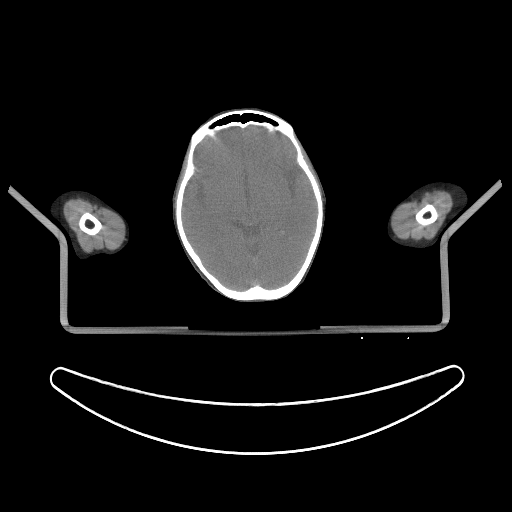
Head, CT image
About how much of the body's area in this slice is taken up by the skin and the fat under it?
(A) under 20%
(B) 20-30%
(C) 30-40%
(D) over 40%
Answer: (A) under 20%
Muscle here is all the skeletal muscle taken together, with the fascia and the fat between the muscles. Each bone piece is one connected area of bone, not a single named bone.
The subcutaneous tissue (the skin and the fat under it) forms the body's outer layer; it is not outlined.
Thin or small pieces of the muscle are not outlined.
The brain is outlined by 248,126 261,127 269,133 278,132 289,140 316,205 313,233 301,264 286,282 270,288 254,284 237,289 224,284 203,263 187,236 182,217 185,190 196,170 194,154 198,144 206,137 214,138 223,130. The muscle appears in 3 outlined pieces: piece 1: 76,197 86,199 99,206 105,207 117,214 121,218 125,226 125,238 118,248 114,250 109,250 105,248 94,250 88,253 84,252 82,250 77,241 75,233 69,227 62,211 63,204 65,201 70,198 75,198; inner edge: 84,212 89,212 91,214 92,214 99,220 99,221 102,225 102,227 101,228 101,229 96,234 95,234 94,235 90,235 89,234 84,232 82,230 81,230 79,227 78,222 79,221 79,219 80,218 81,215; piece 2: 433,190 444,190 449,192 452,196 454,203 451,210 446,216 445,220 435,236 430,240 425,240 424,239 402,240 396,237 391,228 391,220 395,210 401,204 409,202 414,199 419,199 425,192; inner edge: 428,203 429,203 430,204 432,204 435,207 435,208 438,213 438,216 437,217 436,220 432,223 430,223 427,225 422,226 416,221 416,220 415,219 415,215 416,214 416,213 422,207 423,207 426,204 427,204; piece 3: 303,151 303,152 305,154 305,155 306,156 306,157 307,158 307,159 308,160 308,161 309,162 309,163 310,164 310,165 317,178 317,180 315,175 310,169 310,167 307,163 307,162 304,157 304,155 303,154. The head is outlined by 246,106 256,106 269,110 291,124 319,175 326,196 326,218 323,235 311,269 305,281 287,299 275,303 247,303 235,301 224,297 209,287 196,273 186,258 172,222 172,192 191,135 200,124 212,114 224,109, around a hole outlined by 244,114 253,114 254,115 258,115 259,116 262,116 269,120 256,120 255,119 248,119 245,121 242,121 239,119 238,120 230,120 223,123 217,123 222,119 228,116 231,116 232,115 238,115 240,117. The left arm is outlined by 432,181 448,181 460,185 466,191 468,196 468,202 466,208 463,209 451,221 450,224 441,232 439,240 430,247 414,248 413,247 402,246 395,243 390,239 386,231 386,225 391,210 398,202 416,188 423,184. The right arm is outlined by 72,189 86,190 95,194 115,208 127,220 129,225 129,241 127,245 121,251 112,255 98,254 86,259 79,259 76,256 69,238 65,232 59,226 59,223 53,217 49,210 50,204 59,194 67,190 71,190. The bones appear in 3 outlined pieces: piece 1: 241,109 253,109 274,114 291,124 301,144 303,157 314,175 321,193 322,230 313,258 297,286 290,293 277,299 237,300 222,294 190,257 180,239 176,225 175,201 186,166 186,154 191,135 199,126 215,116, around holes outlined by 248,126 261,127 269,133 278,132 289,140 316,205 313,233 301,264 286,282 270,288 254,284 237,289 224,284 203,263 187,236 182,217 185,190 196,170 194,154 198,144 206,137 214,138 223,130 and by 244,114 253,114 254,115 258,115 259,116 262,116 269,120 256,120 255,119 248,119 245,121 242,121 239,119 238,120 230,120 223,123 217,123 222,119 228,116 231,116 232,115 238,115 240,117; piece 2: 84,212 89,212 91,214 92,214 99,220 99,221 102,225 102,227 101,228 101,229 96,234 95,234 94,235 90,235 89,234 84,232 82,230 81,230 79,227 78,222 79,221 79,219 80,218 81,215; piece 3: 428,203 429,203 430,204 432,204 435,207 435,208 438,213 438,216 437,217 436,220 432,223 430,223 427,225 422,226 416,221 416,220 415,219 415,215 416,214 416,213 422,207 423,207 426,204 427,204.